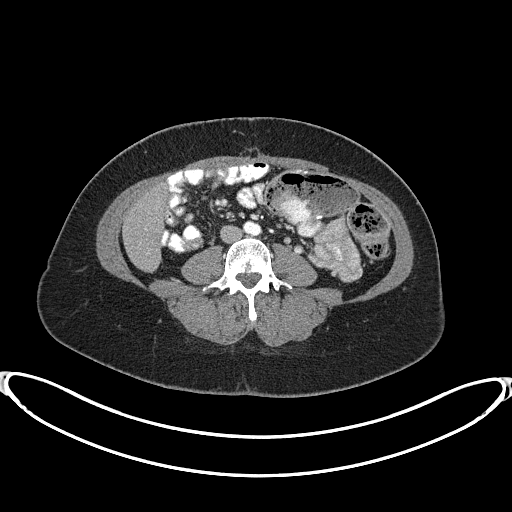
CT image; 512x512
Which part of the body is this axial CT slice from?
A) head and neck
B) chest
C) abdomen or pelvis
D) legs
Answer: C) abdomen or pelvis
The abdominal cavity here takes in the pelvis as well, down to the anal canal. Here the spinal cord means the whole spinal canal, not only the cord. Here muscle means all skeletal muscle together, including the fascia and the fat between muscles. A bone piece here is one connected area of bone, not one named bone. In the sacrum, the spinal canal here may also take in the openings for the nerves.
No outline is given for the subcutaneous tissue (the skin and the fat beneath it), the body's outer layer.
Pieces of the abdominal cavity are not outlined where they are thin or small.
abdominal cavity: (344, 298) (385, 275) (395, 245) (380, 211) (329, 173) (259, 161) (181, 170) (147, 190) (120, 227) (122, 253) (144, 283) (185, 281) (180, 267) (188, 257) (214, 244) (223, 255) (250, 236) (262, 240) (272, 258) (273, 243) (289, 247) (318, 273) (309, 287) (337, 287)
bones: (252, 322) (257, 316) (254, 298) (258, 292) (268, 292) (272, 287) (277, 290) (281, 285) (292, 287) (273, 272) (269, 248) (258, 239) (245, 237) (228, 248) (223, 256) (222, 275) (202, 290) (217, 287) (221, 290) (227, 288) (229, 295) (240, 292) (248, 301) (248, 316) with a hole at (248, 288) (249, 288) (250, 287) (252, 287) (256, 283) (256, 282) (259, 279) (259, 275) (257, 273) (250, 273) (249, 274) (247, 274) (246, 273) (245, 273) (244, 274) (241, 274) (238, 276) (238, 279) (239, 280) (240, 280) (241, 281) (241, 282) (246, 287) (247, 287)
torso: (262, 397) (304, 397) (349, 389) (402, 370) (431, 352) (443, 334) (446, 321) (433, 228) (418, 198) (393, 168) (365, 146) (327, 127) (293, 118) (258, 115) (200, 119) (162, 128) (112, 157) (77, 196) (38, 280) (36, 309) (39, 319) (59, 343) (137, 379) (195, 393)
spinal cord: (248, 288) (249, 288) (250, 287) (252, 287) (256, 283) (256, 282) (259, 279) (259, 275) (257, 273) (250, 273) (249, 274) (247, 274) (246, 273) (245, 273) (244, 274) (241, 274) (238, 276) (238, 279) (239, 280) (240, 280) (241, 281) (241, 282) (246, 287) (247, 287)
muscle: (275, 348) (288, 342) (300, 342) (307, 339) (313, 334) (313, 330) (324, 322) (333, 309) (372, 299) (395, 288) (409, 275) (414, 257) (411, 236) (401, 211) (389, 197) (375, 187) (358, 179) (338, 174) (325, 165) (301, 158) (265, 155) (219, 155) (196, 160) (181, 167) (139, 180) (115, 197) (100, 218) (96, 229) (96, 255) (106, 271) (158, 297) (171, 316) (177, 319) (185, 330) (193, 336) (227, 346) (233, 345) (249, 333) (254, 333) (265, 345) with a hole at (252, 322) (258, 292) (292, 287) (272, 270) (273, 243) (316, 270) (309, 287) (337, 287) (344, 298) (383, 277) (395, 245) (380, 211) (337, 176) (259, 161) (181, 170) (147, 190) (120, 227) (133, 273) (185, 281) (185, 260) (219, 244) (224, 271) (202, 290) (240, 292)